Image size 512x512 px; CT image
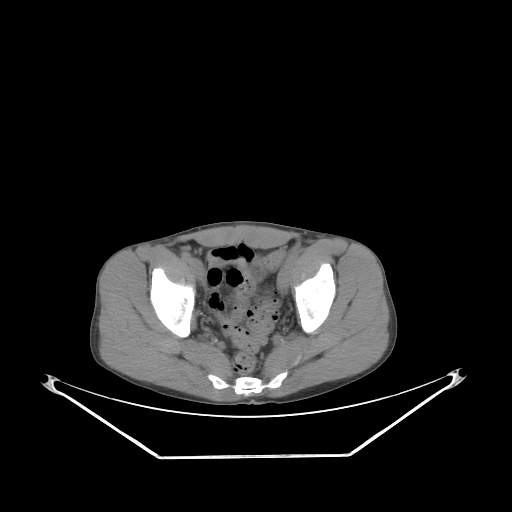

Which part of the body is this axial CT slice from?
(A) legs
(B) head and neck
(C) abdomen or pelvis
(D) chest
(C) abdomen or pelvis
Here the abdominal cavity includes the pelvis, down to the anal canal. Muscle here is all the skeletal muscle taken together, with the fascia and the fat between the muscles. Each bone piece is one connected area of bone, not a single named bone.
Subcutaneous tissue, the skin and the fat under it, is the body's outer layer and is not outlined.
Outlines (x, y in pixels):
abdominal cavity: 292,239 308,244 289,266 289,283 296,309 297,327 287,339 269,352 259,377 236,377 228,355 196,332 196,277 190,265 179,257 172,247 189,240 207,247 226,247 242,241 254,249 262,249 281,246
bones 1: 159,266 164,270 164,272 167,277 173,282 181,283 182,284 193,284 195,286 195,302 194,303 194,308 192,311 192,316 190,321 190,333 186,337 180,337 170,331 157,317 150,302 151,272 155,267 158,267
bones 2: 323,262 329,263 332,267 334,275 334,281 336,286 336,292 330,307 329,313 325,320 314,331 310,333 306,333 302,329 300,324 300,319 294,300 294,293 295,292 293,287 305,279 312,277 317,272 320,265
bones 3: 285,370 287,371 287,375 278,387 265,387 260,392 251,392 247,396 236,393 232,387 226,387 221,389 215,388 212,382 207,377 207,375 211,373 231,384 237,377 241,376 257,377 264,382 267,382 277,374
muscle: 237,225 265,226 299,232 312,238 337,237 342,238 349,243 354,242 360,244 366,248 375,257 380,267 383,278 383,290 389,310 389,341 382,356 368,368 349,377 317,384 280,397 250,396 231,401 212,400 139,380 112,368 104,362 99,355 98,349 98,323 101,309 99,280 102,271 110,259 125,249 136,248 142,244 165,243 178,236 200,230; inner edge: 292,239 308,244 289,266 293,297 293,287 312,277 323,262 332,267 336,292 327,317 306,333 295,311 297,327 269,352 259,376 267,382 286,370 278,387 247,396 232,387 215,388 210,373 231,384 236,378 228,355 196,332 195,308 186,337 160,321 150,302 152,270 159,266 173,282 195,286 192,268 172,248 182,242 226,247 242,241 262,249
torso: 231,220 267,221 340,234 357,239 373,249 384,266 397,314 397,338 390,356 365,377 319,396 291,403 233,406 214,406 161,395 133,385 98,365 89,348 89,325 94,306 95,279 104,260 131,243 202,224